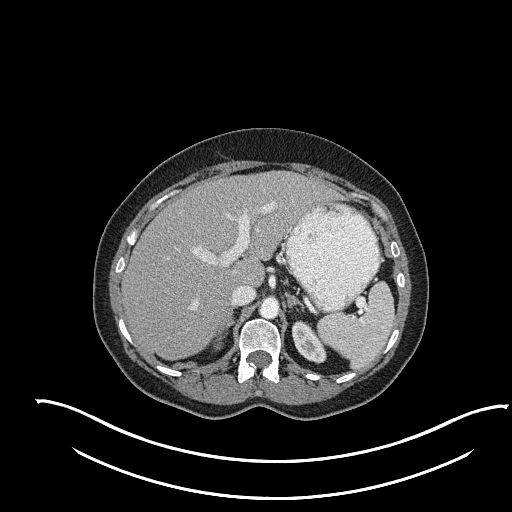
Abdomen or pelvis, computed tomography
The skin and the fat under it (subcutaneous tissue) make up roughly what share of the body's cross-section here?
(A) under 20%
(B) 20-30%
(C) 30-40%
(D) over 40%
(B) 20-30%
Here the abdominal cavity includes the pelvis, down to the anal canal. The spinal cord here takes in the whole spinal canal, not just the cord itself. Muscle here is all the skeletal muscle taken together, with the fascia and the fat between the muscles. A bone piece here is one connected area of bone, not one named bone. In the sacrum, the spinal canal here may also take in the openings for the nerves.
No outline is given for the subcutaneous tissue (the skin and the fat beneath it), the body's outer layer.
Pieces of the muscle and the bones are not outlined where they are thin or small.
The abdominal cavity is outlined by [[325,375],[369,365],[384,348],[395,321],[396,264],[382,222],[364,200],[324,178],[286,167],[259,166],[201,183],[154,209],[130,250],[120,278],[124,321],[142,351],[181,371],[206,368],[233,355],[246,320],[263,317],[278,327],[280,350],[288,361]]. The torso is outlined by [[301,420],[360,406],[383,392],[403,369],[420,342],[427,317],[429,277],[425,253],[400,194],[355,153],[324,137],[288,128],[251,127],[224,132],[162,161],[110,216],[98,243],[93,270],[96,329],[124,375],[160,402],[208,419],[223,419],[261,406]]. The bones appear in 9 outlined pieces: piece 1: [[239,382],[242,382],[255,375],[257,376],[261,375],[274,382],[277,382],[279,380],[279,373],[278,372],[279,359],[278,358],[281,342],[277,327],[270,321],[263,318],[255,318],[246,321],[242,326],[239,338],[240,356],[236,369],[237,370],[237,378]], around a hole outlined by [[258,367],[263,367],[264,366],[266,366],[270,362],[271,360],[270,358],[270,356],[266,352],[264,351],[262,351],[261,350],[259,350],[258,351],[255,351],[254,352],[252,352],[250,353],[247,358],[247,360],[248,361],[251,361],[253,362]]; piece 2: [[383,221],[386,221],[387,220],[387,216],[384,212],[384,211],[378,204],[377,204],[374,201],[371,200],[365,195],[362,195],[361,194],[359,194],[355,192],[351,192],[350,193],[353,195],[358,196],[364,199],[366,201],[368,201],[372,208],[372,210]]; piece 3: [[171,376],[179,376],[182,374],[182,372],[181,372],[176,369],[174,369],[173,368],[171,368],[170,367],[168,367],[167,366],[165,366],[164,365],[162,365],[161,364],[157,364],[155,366],[155,367],[159,371],[160,371],[167,375],[170,375]]; piece 4: [[131,344],[133,344],[133,342],[132,341],[132,339],[131,338],[131,337],[130,336],[130,335],[125,326],[125,324],[123,321],[123,319],[122,318],[119,318],[119,319],[118,320],[118,326],[119,327],[119,329],[120,330],[121,333],[127,339],[127,340]]; piece 5: [[149,210],[152,210],[160,202],[165,200],[168,197],[169,197],[172,195],[174,195],[176,193],[177,193],[179,191],[179,190],[178,189],[174,189],[173,190],[170,191],[168,193],[163,195],[157,200],[156,200],[152,204],[151,204],[151,205],[149,207]]; piece 6: [[383,353],[385,353],[387,351],[388,351],[388,350],[393,345],[394,342],[396,340],[396,339],[399,334],[399,330],[397,328],[394,328],[394,329],[393,330],[393,331],[392,332],[392,333],[388,340],[388,342],[387,343],[385,348],[383,350]]; piece 7: [[131,246],[134,243],[134,242],[135,241],[135,240],[136,239],[136,238],[137,237],[137,235],[138,234],[138,230],[136,228],[134,228],[130,232],[130,233],[127,236],[127,237],[126,238],[126,240],[127,241],[127,243],[129,245],[130,245]]; piece 8: [[338,383],[340,383],[341,382],[344,382],[345,381],[347,381],[351,379],[355,375],[356,373],[354,371],[353,371],[352,372],[349,372],[348,373],[346,373],[345,374],[343,374],[341,375],[335,380],[336,382]]; piece 9: [[117,273],[119,273],[120,272],[121,272],[121,271],[123,269],[123,268],[125,266],[125,262],[126,261],[125,260],[125,259],[124,258],[124,257],[123,256],[121,256],[118,259],[118,260],[117,261],[117,262],[116,263],[116,266],[115,267],[115,271]]. The spinal cord is outlined by [[258,367],[263,367],[264,366],[266,366],[270,362],[271,360],[270,358],[270,356],[266,352],[264,351],[262,351],[261,350],[259,350],[258,351],[255,351],[254,352],[252,352],[250,353],[247,358],[247,360],[248,361],[251,361],[253,362]]. The muscle appears in 2 outlined pieces: piece 1: [[220,405],[229,405],[230,404],[239,403],[248,398],[251,398],[256,396],[268,398],[272,401],[279,403],[284,403],[289,405],[299,405],[305,403],[311,403],[312,402],[317,402],[318,401],[325,400],[335,396],[355,383],[366,379],[378,371],[390,360],[393,356],[395,350],[398,346],[398,344],[401,339],[402,332],[404,328],[404,324],[406,320],[406,317],[408,314],[408,307],[410,303],[410,295],[411,294],[411,281],[410,280],[410,275],[408,268],[407,256],[398,234],[396,225],[390,211],[386,205],[380,199],[371,193],[357,187],[346,179],[310,164],[301,163],[300,162],[279,162],[278,161],[260,161],[259,160],[230,160],[229,161],[218,163],[211,166],[207,166],[191,173],[181,180],[168,186],[154,195],[139,210],[123,233],[115,255],[112,260],[111,267],[109,272],[109,281],[108,283],[109,284],[110,304],[114,315],[114,319],[117,327],[117,331],[122,342],[124,350],[131,360],[134,361],[145,370],[151,373],[154,376],[159,378],[183,395],[198,401],[201,401],[206,403],[219,404]]; inner edge: [[338,383],[351,379],[382,351],[388,351],[399,334],[393,327],[397,288],[403,287],[405,280],[401,272],[396,272],[393,258],[399,256],[400,250],[394,240],[388,240],[382,225],[387,216],[378,204],[365,195],[349,194],[324,178],[280,166],[230,172],[179,194],[174,189],[151,204],[149,210],[153,211],[141,230],[134,228],[127,236],[132,247],[129,256],[126,260],[123,256],[118,259],[115,271],[121,273],[124,314],[118,320],[119,329],[131,344],[134,342],[158,361],[155,367],[159,371],[179,376],[185,370],[206,368],[233,355],[238,347],[239,382],[255,375],[277,382],[281,352],[288,361],[312,372],[306,373],[306,378],[317,380],[323,374],[340,374],[335,380]]; piece 2: [[158,206],[159,206],[160,205],[161,204],[162,203],[163,202],[164,202],[165,201],[166,201],[167,200],[168,200],[169,199],[170,198],[171,198],[172,197],[173,197],[174,196],[175,196],[176,195],[177,194],[176,194],[175,195],[174,196],[173,196],[172,196],[171,197],[170,197],[169,198],[168,198],[167,199],[166,200],[165,201],[164,201],[163,202],[162,202],[161,203],[160,203],[159,204],[158,205]].